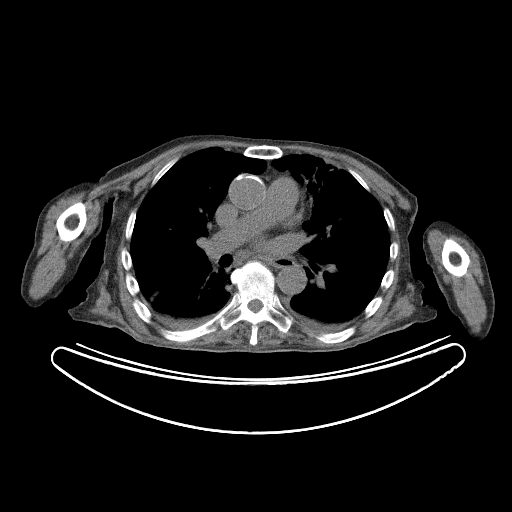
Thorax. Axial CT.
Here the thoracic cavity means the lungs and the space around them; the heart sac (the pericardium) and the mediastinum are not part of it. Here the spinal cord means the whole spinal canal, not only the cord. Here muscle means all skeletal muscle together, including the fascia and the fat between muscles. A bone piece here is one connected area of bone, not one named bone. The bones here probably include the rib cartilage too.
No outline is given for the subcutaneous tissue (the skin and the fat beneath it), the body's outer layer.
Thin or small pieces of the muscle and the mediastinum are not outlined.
{"torso":[[[208,133],[346,147],[386,169],[417,197],[418,210],[408,236],[410,259],[424,284],[423,302],[436,308],[436,317],[339,351],[267,353],[156,347],[118,328],[72,319],[68,308],[86,297],[102,262],[112,210],[111,202],[107,205],[107,171],[175,137]]],"mediastinum":[[[305,179],[311,215],[301,225],[309,241],[299,252],[305,258],[307,284],[288,301],[280,298],[272,271],[259,260],[232,269],[227,261],[218,259],[210,226],[227,192],[217,215],[219,233],[226,241],[234,246],[291,242],[305,216],[304,189],[298,183]],[[265,160],[272,160],[271,165],[274,168],[279,171],[288,170],[293,177],[288,173],[280,173],[273,177],[267,176],[265,178],[266,182],[257,177],[240,175],[231,182],[228,191],[228,187],[231,181],[240,172],[246,172],[254,175],[261,173],[266,168]]],"pericardium":[[[280,174],[288,174],[303,189],[305,211],[303,219],[297,228],[297,235],[291,241],[277,244],[242,243],[234,245],[226,240],[220,233],[218,215],[220,213],[220,208],[228,200],[228,192],[232,182],[240,176],[249,176],[267,183],[267,177],[273,178]]],"right_arm":[[[106,171],[107,200],[104,209],[103,222],[99,234],[92,242],[84,255],[74,276],[62,291],[54,299],[38,307],[29,306],[24,302],[20,295],[20,283],[25,262],[33,246],[34,231],[40,211],[46,202],[60,191],[69,186],[85,180],[96,180]]],"left_arm":[[[436,219],[446,220],[467,233],[479,246],[485,257],[494,293],[495,309],[490,330],[486,337],[480,341],[475,341],[471,339],[467,335],[466,331],[459,319],[450,311],[446,300],[437,285],[432,270],[425,260],[425,256],[422,248],[422,235],[428,224]]],"bones":[{"outer":[[254,260],[271,271],[274,290],[295,319],[287,332],[281,332],[269,321],[261,321],[257,324],[257,343],[251,345],[251,324],[240,320],[226,330],[218,325],[215,331],[184,342],[169,340],[160,334],[161,328],[181,331],[211,319],[236,290],[231,272]],"hole":[[252,300],[259,300],[261,302],[261,303],[262,304],[262,306],[260,308],[260,309],[259,310],[258,310],[257,311],[253,311],[251,309],[250,309],[248,307],[248,303],[250,301],[251,301]]},[[79,201],[81,201],[85,205],[85,210],[86,211],[86,222],[85,223],[85,225],[81,233],[76,238],[71,241],[62,241],[59,238],[58,232],[55,225],[56,223],[56,220],[59,215],[66,208],[67,208],[72,204]],[[447,238],[451,238],[453,239],[461,246],[462,246],[462,247],[465,250],[469,257],[470,262],[467,267],[467,271],[466,273],[462,276],[455,276],[448,272],[445,268],[444,264],[442,261],[442,259],[441,258],[441,251],[443,247],[443,243]],[[123,248],[129,251],[132,267],[128,271],[135,277],[139,287],[139,292],[136,297],[144,303],[144,305],[152,314],[150,323],[147,323],[140,318],[133,307],[132,303],[134,297],[131,295],[126,286],[125,276],[127,271],[124,268],[121,260],[121,250]],[[261,144],[267,144],[268,145],[276,145],[278,146],[282,150],[283,152],[283,155],[282,155],[278,158],[274,158],[273,159],[263,159],[262,158],[257,158],[256,157],[246,156],[243,154],[244,153],[244,150],[247,147],[251,145],[260,145]],[[351,326],[354,326],[355,327],[355,332],[347,339],[343,341],[336,342],[335,343],[325,343],[322,341],[318,340],[315,337],[310,335],[308,333],[317,334],[320,332],[325,332],[326,333],[328,333],[329,332],[338,332],[344,329],[346,329]],[[375,296],[381,296],[382,297],[382,302],[381,303],[381,304],[379,306],[379,307],[376,310],[376,311],[373,314],[372,314],[369,317],[368,317],[367,318],[366,318],[365,317],[365,315],[364,314],[364,310],[365,309],[365,307],[368,304],[368,303]],[[176,156],[178,156],[179,157],[179,159],[169,169],[168,169],[167,171],[166,171],[165,173],[164,173],[163,175],[161,176],[161,177],[156,182],[156,183],[153,186],[151,187],[151,182],[154,176],[158,172],[158,171],[168,161],[169,161],[172,158]],[[132,209],[135,209],[136,210],[136,215],[135,216],[135,221],[134,222],[134,225],[133,226],[133,230],[132,231],[131,238],[130,240],[128,240],[125,236],[125,228],[126,227],[126,223],[127,222],[127,219],[128,218],[128,216],[130,213],[130,211]],[[388,269],[392,269],[394,272],[394,275],[393,276],[393,279],[392,280],[392,282],[391,283],[391,284],[386,289],[383,289],[380,287],[380,283],[381,282],[381,280],[382,279],[382,278],[383,277],[383,276],[384,275],[384,274],[385,273],[385,272]],[[385,207],[387,207],[390,210],[390,211],[393,216],[393,219],[394,220],[394,225],[395,226],[395,228],[393,231],[392,231],[389,229],[389,228],[387,225],[387,223],[386,222],[386,220],[384,217],[384,214],[383,213],[383,208],[384,208]],[[349,167],[350,167],[351,168],[352,168],[354,170],[355,170],[361,176],[361,177],[365,181],[365,182],[368,185],[368,186],[369,187],[369,188],[370,189],[370,190],[369,191],[368,191],[347,170],[347,169]],[[393,241],[394,241],[395,242],[396,242],[398,244],[398,252],[397,253],[397,255],[396,256],[396,257],[392,261],[391,260],[390,260],[389,259],[389,250],[390,249],[390,244],[391,243],[391,242],[392,242]]],"thoracic_cavity":[[[210,147],[262,159],[265,168],[257,174],[240,171],[230,181],[209,226],[209,237],[215,244],[217,259],[229,264],[232,270],[229,279],[235,290],[211,318],[191,328],[172,330],[156,321],[141,298],[130,253],[131,239],[137,212],[149,190],[181,158]],[[301,153],[346,170],[377,200],[389,232],[388,261],[375,295],[350,326],[338,331],[311,327],[296,319],[281,301],[289,302],[308,284],[306,258],[300,248],[310,241],[302,225],[312,215],[312,198],[305,178],[298,182],[288,169],[279,170],[272,161]]],"spinal_cord":[[[252,300],[259,300],[261,302],[261,303],[262,304],[262,306],[260,308],[260,309],[259,310],[258,310],[257,311],[253,311],[251,309],[250,309],[248,307],[248,303],[250,301],[251,301]]],"muscle":[{"outer":[[212,139],[257,144],[243,151],[210,146],[172,157],[153,176],[137,211],[130,210],[136,200],[131,191],[111,189],[102,193],[98,197],[97,224],[67,261],[61,277],[42,297],[35,300],[29,296],[27,289],[51,205],[66,195],[112,180],[172,147]],"hole":[[79,201],[81,201],[85,205],[85,210],[86,211],[86,222],[85,223],[85,225],[81,233],[76,238],[71,241],[62,241],[59,238],[58,232],[55,225],[56,223],[56,220],[59,215],[66,208],[67,208],[72,204]]},[[126,219],[124,236],[130,241],[129,250],[125,247],[120,250],[120,260],[126,271],[125,286],[133,297],[131,304],[138,317],[150,324],[153,316],[155,321],[163,327],[158,330],[159,334],[177,343],[213,333],[218,326],[226,331],[234,324],[246,321],[250,324],[248,343],[252,346],[231,345],[224,342],[211,345],[162,344],[140,338],[117,321],[89,311],[98,294],[98,282],[105,267],[110,277],[116,271],[116,253]],[[394,216],[400,236],[401,257],[399,283],[403,287],[407,283],[411,283],[414,287],[413,303],[416,309],[412,314],[396,321],[368,337],[343,346],[313,347],[300,343],[288,343],[286,341],[275,346],[255,346],[258,343],[258,324],[261,322],[269,322],[281,333],[287,333],[296,320],[298,320],[317,330],[319,332],[317,333],[307,333],[325,344],[340,343],[350,338],[356,332],[356,327],[352,325],[363,314],[366,319],[369,318],[382,304],[383,297],[381,295],[376,295],[378,289],[380,288],[386,290],[393,282],[395,272],[392,268],[387,269],[387,264],[389,260],[392,262],[397,257],[399,252],[399,244],[394,240],[391,241],[390,239],[389,230],[393,232],[396,228]],{"outer":[[433,228],[438,228],[445,232],[451,232],[465,238],[474,248],[479,256],[484,283],[483,298],[485,301],[487,312],[483,327],[477,333],[473,332],[469,327],[466,319],[459,310],[448,285],[444,281],[434,261],[427,240],[428,232],[430,229]],"hole":[[447,238],[451,238],[453,239],[461,246],[462,246],[462,247],[465,250],[469,257],[470,262],[467,267],[467,271],[466,273],[462,276],[455,276],[448,272],[445,268],[444,264],[442,261],[442,259],[441,258],[441,251],[443,247],[443,243]]},[[283,144],[321,148],[346,154],[360,161],[396,188],[408,200],[410,208],[407,210],[396,206],[392,211],[393,215],[387,206],[381,206],[370,192],[369,185],[352,167],[349,166],[346,169],[340,168],[320,156],[306,152],[284,154],[283,150],[277,145]]]}